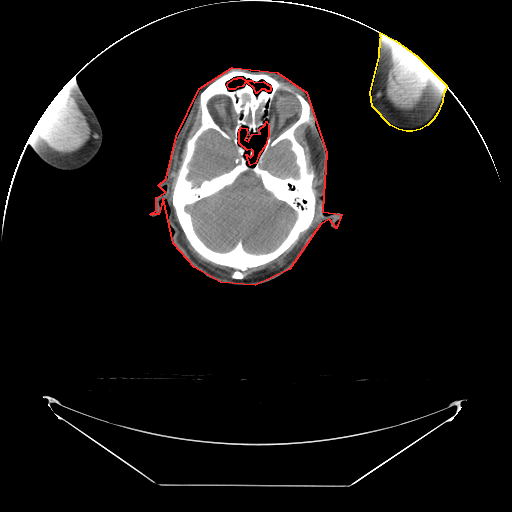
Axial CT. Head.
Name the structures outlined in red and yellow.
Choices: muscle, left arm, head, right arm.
red: head; yellow: left arm.
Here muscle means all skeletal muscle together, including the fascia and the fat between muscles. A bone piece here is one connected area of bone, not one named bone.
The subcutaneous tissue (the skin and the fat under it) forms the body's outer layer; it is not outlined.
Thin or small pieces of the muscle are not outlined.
Outlines (x, y in pixels):
head: [[232,67],[277,72],[306,92],[326,152],[322,211],[341,214],[336,228],[329,219],[320,224],[289,269],[255,285],[220,282],[194,267],[173,243],[163,198],[158,214],[150,214],[156,210],[156,197],[165,192],[158,185],[166,178],[176,136],[199,88]] with holes at [[266,121],[268,125],[268,135],[265,145],[258,155],[255,163],[250,165],[246,154],[250,157],[253,154],[253,151],[251,149],[247,150],[239,143],[239,130],[241,127],[246,128],[247,133],[244,139],[248,141],[252,134],[260,133],[259,129],[265,124]] and at [[238,77],[241,77],[245,80],[251,80],[254,82],[263,81],[270,86],[270,90],[269,91],[267,91],[265,89],[261,89],[256,93],[254,88],[247,82],[245,82],[242,86],[237,87],[234,89],[229,89],[227,85],[228,82],[234,78],[237,78]]
left arm: [[380,32],[395,40],[417,56],[446,85],[445,90],[443,93],[442,101],[437,113],[433,119],[427,125],[420,129],[412,131],[406,131],[398,129],[390,125],[372,106],[370,92],[379,56],[379,47],[380,46],[380,38],[381,37],[380,36]]
muscle 1: [[65,84],[70,94],[80,105],[85,116],[87,118],[92,131],[92,135],[91,136],[91,138],[78,150],[74,152],[72,152],[69,154],[59,155],[57,153],[55,153],[51,150],[48,149],[37,136],[33,129],[36,123],[50,102]]
muscle 2: [[392,39],[401,44],[417,56],[434,72],[434,74],[424,94],[424,96],[414,108],[409,110],[400,109],[395,107],[388,101],[388,98],[386,93],[386,72],[387,71],[387,64],[388,63],[388,58],[389,57],[389,53],[390,52],[390,48],[391,47]]
muscle 3: [[311,120],[312,120],[312,126],[317,138],[319,151],[321,156],[320,184],[316,197],[316,193],[312,186],[315,176],[314,170],[312,168],[309,168],[308,160],[305,153],[304,147],[297,140],[295,136],[295,131],[297,128],[303,124],[309,124],[311,122]]
muscle 4: [[316,204],[317,205],[317,221],[316,223],[294,253],[285,263],[282,266],[270,272],[267,272],[261,275],[253,277],[245,278],[246,275],[244,272],[246,270],[250,268],[258,267],[271,262],[280,256],[296,242],[300,234],[308,229],[311,225],[315,215]]
muscle 5: [[198,98],[198,107],[200,113],[200,124],[193,134],[185,141],[184,156],[178,169],[177,176],[172,189],[171,201],[170,199],[170,193],[171,192],[170,181],[177,146],[183,132],[192,118],[192,116],[195,111],[196,103]]
muscle 6: [[173,207],[178,224],[182,230],[186,239],[193,249],[206,260],[214,264],[225,267],[229,267],[233,269],[233,271],[230,276],[228,276],[222,273],[219,273],[214,270],[210,269],[198,261],[193,256],[181,238],[181,232],[178,226],[178,224],[175,220]]
bones: [[233,70],[241,70],[255,74],[267,74],[290,86],[309,103],[310,122],[298,126],[294,131],[294,136],[303,147],[308,168],[313,170],[314,176],[311,186],[315,193],[316,200],[312,221],[308,228],[299,234],[295,242],[271,261],[246,269],[243,272],[245,276],[241,279],[231,277],[234,271],[233,268],[214,263],[203,257],[194,249],[179,224],[172,203],[173,189],[185,156],[186,141],[201,124],[199,96],[213,81]], around holes outlined by [[246,172],[252,172],[259,178],[266,191],[276,199],[287,204],[295,212],[295,219],[283,239],[273,249],[268,251],[248,251],[244,248],[240,239],[228,250],[219,251],[213,249],[208,246],[196,232],[192,216],[186,207],[230,186],[239,176]] and by [[208,130],[214,130],[216,131],[226,140],[230,142],[235,149],[237,155],[234,159],[234,166],[231,169],[228,171],[215,175],[209,179],[203,179],[198,185],[194,185],[194,182],[187,177],[190,171],[189,164],[194,155],[196,149],[197,141],[199,138]] and by [[278,90],[283,90],[293,94],[297,100],[299,105],[299,114],[297,119],[288,127],[284,129],[278,134],[274,134],[273,132],[273,129],[272,128],[272,125],[270,122],[270,113],[272,109],[273,101],[274,100],[275,95]] and by [[284,140],[287,140],[290,143],[290,146],[289,148],[295,157],[294,159],[294,162],[298,168],[298,175],[297,177],[293,177],[292,176],[281,177],[271,173],[263,166],[263,164],[264,163],[264,159],[266,157],[270,148],[274,147],[280,142]] and by [[266,121],[268,125],[268,135],[265,145],[258,155],[255,163],[250,165],[246,154],[250,157],[253,154],[253,151],[251,149],[247,150],[239,143],[239,130],[241,127],[246,128],[247,133],[244,139],[248,141],[252,134],[260,133],[259,129],[265,124]] and by [[216,96],[224,96],[225,97],[227,97],[230,102],[230,107],[231,108],[230,109],[231,110],[231,116],[233,119],[233,125],[231,127],[231,128],[229,129],[224,129],[215,120],[213,115],[210,111],[210,109],[209,108],[209,102],[214,97]] and by [[238,77],[241,77],[245,80],[251,80],[254,82],[263,81],[270,86],[270,90],[269,91],[267,91],[265,89],[261,89],[256,93],[254,88],[247,82],[245,82],[242,86],[237,87],[234,89],[229,89],[227,85],[228,82],[234,78],[237,78]]
right arm: [[74,76],[77,84],[98,118],[103,132],[103,139],[102,140],[101,147],[99,149],[98,152],[87,164],[78,169],[75,169],[74,170],[62,170],[61,169],[55,168],[44,162],[36,154],[33,148],[27,142],[27,140],[36,123],[50,102],[62,87]]
brain 1: [[246,172],[252,172],[259,178],[266,191],[276,199],[287,204],[295,212],[295,219],[283,239],[273,249],[268,251],[248,251],[244,248],[240,239],[228,250],[219,251],[213,249],[208,246],[196,232],[192,216],[186,207],[230,186],[239,176]]
brain 2: [[208,130],[214,130],[216,131],[226,140],[230,142],[235,149],[237,155],[234,159],[234,166],[231,169],[228,171],[215,175],[209,179],[203,179],[198,185],[194,185],[194,182],[187,177],[190,171],[189,164],[194,155],[196,149],[197,141],[199,138]]
brain 3: [[284,140],[287,140],[290,143],[290,146],[289,148],[295,157],[294,159],[294,162],[298,168],[298,175],[297,177],[293,177],[292,176],[281,177],[271,173],[263,166],[263,164],[264,163],[264,159],[266,157],[270,148],[274,147],[280,142]]